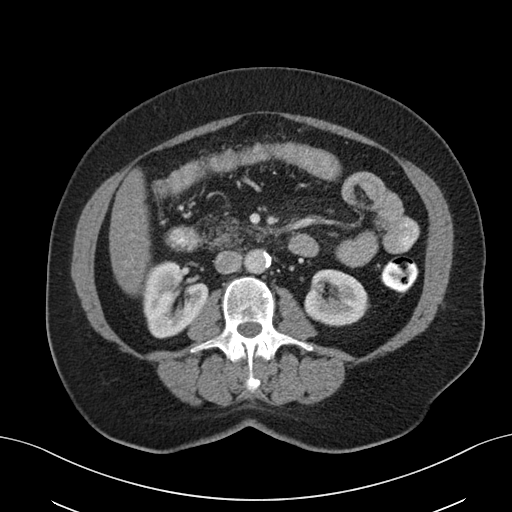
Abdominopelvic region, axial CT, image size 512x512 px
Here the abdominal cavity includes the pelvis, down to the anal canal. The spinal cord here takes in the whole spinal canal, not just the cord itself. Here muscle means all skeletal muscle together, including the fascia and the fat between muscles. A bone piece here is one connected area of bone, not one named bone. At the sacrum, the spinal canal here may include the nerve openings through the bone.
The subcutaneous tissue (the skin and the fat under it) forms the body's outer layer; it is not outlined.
abdominal cavity: (259, 114) (375, 147) (402, 168) (428, 222) (422, 288) (409, 319) (354, 355) (309, 340) (318, 331) (286, 287) (275, 290) (276, 328) (272, 291) (242, 275) (224, 289) (222, 330) (217, 288) (187, 329) (190, 344) (136, 350) (108, 323) (95, 280) (115, 190) (149, 154)
bones: (242, 276) (258, 278) (271, 291) (274, 327) (313, 347) (307, 351) (294, 344) (283, 344) (272, 359) (255, 356) (252, 373) (260, 382) (253, 392) (245, 383) (249, 375) (245, 357) (231, 361) (217, 347) (190, 352) (192, 347) (217, 336) (224, 329) (225, 289) (228, 283); inner edge: (245, 322) (255, 322) (256, 323) (258, 323) (261, 326) (261, 329) (260, 330) (260, 331) (257, 334) (256, 334) (254, 336) (244, 336) (243, 335) (242, 335) (238, 331) (238, 330) (237, 329) (237, 328) (238, 327) (238, 326) (240, 324) (241, 324) (242, 323) (244, 323)
muscle: (256, 110) (280, 111) (292, 114) (310, 116) (349, 128) (378, 142) (380, 144) (387, 147) (399, 156) (409, 160) (430, 176) (435, 181) (436, 184) (443, 193) (443, 195) (448, 204) (448, 208) (452, 217) (454, 236) (453, 237) (453, 256) (452, 257) (451, 269) (449, 274) (449, 281) (443, 298) (443, 304) (439, 306) (434, 318) (424, 331) (416, 335) (412, 339) (393, 351) (390, 351) (385, 355) (375, 358) (371, 361) (363, 362) (348, 370) (345, 374) (345, 379) (341, 386) (333, 394) (317, 403) (312, 405) (300, 405) (296, 402) (291, 402) (282, 406) (275, 406) (258, 398) (251, 396) (247, 398) (243, 398) (227, 407) (220, 407) (210, 402) (207, 402) (200, 406) (191, 406) (189, 404) (181, 401) (170, 392) (158, 377) (155, 368) (149, 362) (139, 359) (128, 353) (122, 352) (118, 349) (118, 346) (114, 342) (105, 339) (90, 325) (86, 317) (85, 312) (81, 306) (80, 300) (76, 293) (75, 287) (70, 275) (70, 264) (71, 263) (75, 229) (82, 209) (94, 191) (103, 181) (116, 171) (126, 165) (138, 155) (163, 141) (194, 127) (197, 127) (213, 120) (217, 120) (232, 115); inner edge: (259, 114) (383, 151) (428, 225) (418, 301) (366, 353) (309, 340) (318, 331) (279, 286) (276, 329) (313, 350) (283, 344) (272, 359) (255, 356) (252, 392) (245, 357) (190, 352) (222, 331) (221, 288) (187, 329) (190, 344) (140, 352) (104, 315) (95, 257) (136, 163)
spinal cord: (245, 322) (255, 322) (256, 323) (258, 323) (261, 326) (261, 329) (260, 330) (260, 331) (257, 334) (256, 334) (254, 336) (244, 336) (243, 335) (242, 335) (238, 331) (238, 330) (237, 329) (237, 328) (238, 327) (238, 326) (240, 324) (241, 324) (242, 323) (244, 323)
torso: (252, 66) (303, 68) (364, 84) (408, 106) (445, 140) (467, 176) (484, 232) (485, 327) (479, 351) (415, 428) (371, 447) (343, 453) (312, 451) (251, 426) (172, 453) (118, 443) (96, 431) (74, 407) (49, 349) (46, 267) (57, 206) (84, 152) (123, 113) (185, 81)